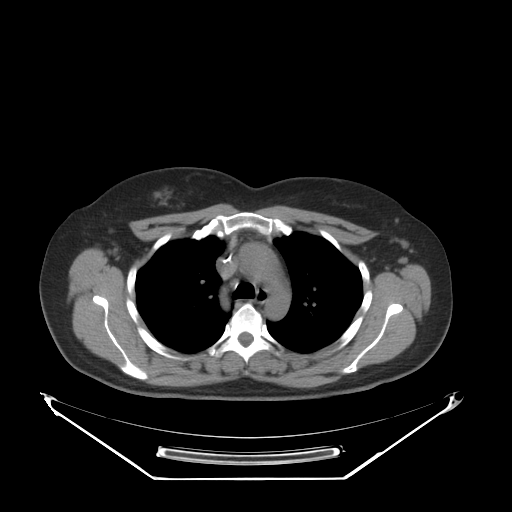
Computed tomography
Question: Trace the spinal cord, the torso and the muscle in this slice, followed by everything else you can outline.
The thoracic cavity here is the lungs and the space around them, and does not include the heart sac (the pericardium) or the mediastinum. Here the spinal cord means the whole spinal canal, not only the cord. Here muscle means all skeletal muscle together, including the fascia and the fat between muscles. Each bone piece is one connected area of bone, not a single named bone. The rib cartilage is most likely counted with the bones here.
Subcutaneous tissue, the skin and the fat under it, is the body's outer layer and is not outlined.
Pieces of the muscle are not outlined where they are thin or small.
Answer: {"spinal_cord":[[[244,332],[246,332],[247,333],[249,333],[252,336],[252,340],[251,341],[251,342],[248,345],[246,345],[245,346],[244,345],[243,345],[239,341],[239,340],[238,339],[238,337],[239,336],[239,335],[240,334],[241,334],[242,333],[243,333]]],"torso":[[[170,166],[213,168],[256,187],[295,176],[340,177],[397,200],[437,235],[450,265],[452,317],[438,350],[423,366],[398,379],[353,393],[301,400],[150,397],[116,389],[76,370],[58,350],[40,305],[38,283],[47,244],[74,209],[110,186],[131,175]]],"muscle":[[[273,205],[328,214],[378,232],[377,236],[353,248],[366,261],[372,275],[394,271],[407,263],[417,263],[426,270],[431,283],[429,309],[422,322],[416,326],[413,342],[397,356],[358,370],[358,363],[383,336],[390,317],[403,310],[399,302],[387,305],[377,335],[339,370],[347,374],[334,382],[310,388],[287,387],[246,376],[200,386],[148,384],[142,381],[149,377],[147,372],[131,361],[111,331],[108,321],[109,302],[99,294],[94,294],[91,299],[103,309],[104,328],[124,363],[118,368],[90,352],[77,339],[72,330],[72,305],[67,302],[68,272],[81,251],[96,247],[105,252],[110,264],[125,274],[127,271],[127,312],[144,343],[166,358],[187,361],[193,356],[178,352],[192,354],[203,350],[212,358],[220,358],[232,351],[246,364],[253,355],[263,350],[279,356],[285,348],[311,353],[331,344],[336,345],[333,352],[344,347],[357,333],[372,302],[372,291],[364,290],[370,282],[368,266],[362,259],[356,265],[352,263],[342,253],[338,241],[322,228],[318,234],[295,230],[278,217],[252,211]],[[218,203],[231,204],[241,211],[228,215],[217,214],[196,228],[189,237],[172,239],[173,234],[168,231],[153,243],[150,251],[151,256],[141,267],[138,269],[135,264],[131,265],[136,258],[146,251],[149,244],[133,234],[128,226],[130,221],[198,210]]],"bones":[{"outer":[[245,303],[250,303],[260,313],[263,321],[265,322],[268,332],[284,347],[284,349],[279,355],[275,355],[268,350],[260,350],[253,354],[246,363],[240,355],[232,350],[224,352],[220,357],[212,357],[204,350],[213,344],[222,335],[225,326],[233,312]],"hole":[[244,332],[246,332],[247,333],[249,333],[252,336],[252,340],[251,341],[251,342],[248,345],[246,345],[245,346],[244,345],[243,345],[239,341],[239,340],[238,339],[238,337],[239,336],[239,335],[240,334],[241,334],[242,333],[243,333]]},[[242,211],[250,211],[265,217],[280,219],[291,226],[293,229],[289,235],[274,232],[270,234],[263,234],[253,228],[241,228],[222,237],[218,237],[214,234],[210,234],[198,240],[190,237],[196,229],[199,229],[217,215],[220,214],[228,216]],[[133,265],[137,267],[134,285],[135,297],[131,296],[130,298],[135,302],[141,317],[138,323],[163,345],[180,354],[192,356],[191,358],[181,360],[159,354],[151,349],[139,335],[137,325],[126,306],[126,299],[130,296],[127,290],[127,275],[130,267]],[[94,295],[99,295],[106,298],[108,302],[107,316],[108,327],[130,361],[146,372],[148,376],[146,379],[142,380],[132,377],[124,373],[119,368],[120,365],[123,365],[125,363],[125,360],[123,355],[107,333],[104,325],[104,309],[93,301],[92,298]],[[365,290],[370,290],[371,291],[372,293],[372,298],[368,309],[363,315],[363,319],[359,326],[359,328],[354,336],[344,346],[339,349],[333,351],[333,349],[337,345],[335,343],[333,343],[344,332],[354,319],[355,315],[361,305],[363,299],[363,294]],[[391,303],[399,303],[401,304],[403,307],[402,310],[400,312],[393,314],[389,317],[382,336],[376,344],[369,349],[359,359],[357,363],[357,370],[351,373],[343,373],[341,372],[340,370],[350,364],[357,355],[370,344],[378,335],[384,321],[387,307]],[[359,260],[362,260],[366,264],[366,265],[367,266],[367,268],[369,271],[369,282],[368,283],[368,284],[365,287],[363,287],[363,281],[362,280],[362,277],[361,276],[361,273],[360,272],[360,271],[359,270],[359,269],[357,266],[357,264],[358,263]],[[168,232],[170,232],[172,234],[172,237],[171,238],[171,239],[170,239],[167,242],[166,242],[164,244],[163,244],[161,246],[160,246],[152,254],[151,251],[152,250],[152,246],[154,244],[154,243],[160,237],[161,237],[163,235],[164,235]],[[320,229],[322,229],[323,230],[324,230],[325,231],[326,231],[327,232],[328,232],[337,241],[337,242],[341,247],[341,249],[342,250],[342,252],[341,252],[340,251],[339,251],[328,240],[327,240],[325,238],[324,238],[319,234],[319,230]]],"mediastinum":[[[241,229],[253,229],[263,235],[273,233],[282,235],[275,237],[272,242],[288,269],[291,302],[287,313],[278,321],[268,319],[264,321],[261,313],[250,302],[243,303],[232,312],[230,309],[224,309],[220,303],[222,279],[215,262],[226,245],[219,238]]],"thoracic_cavity":[[[210,235],[216,236],[225,245],[223,251],[215,259],[214,266],[221,279],[218,295],[219,303],[224,310],[230,310],[232,313],[221,335],[213,343],[202,350],[184,353],[163,344],[146,326],[136,305],[137,272],[160,247],[170,240],[190,238],[198,241]],[[294,230],[319,235],[328,241],[357,267],[363,288],[360,305],[348,326],[332,343],[311,352],[299,352],[285,347],[271,335],[266,324],[267,320],[278,322],[283,319],[288,313],[292,302],[292,284],[289,269],[273,241],[275,238],[283,235],[289,236]]]}